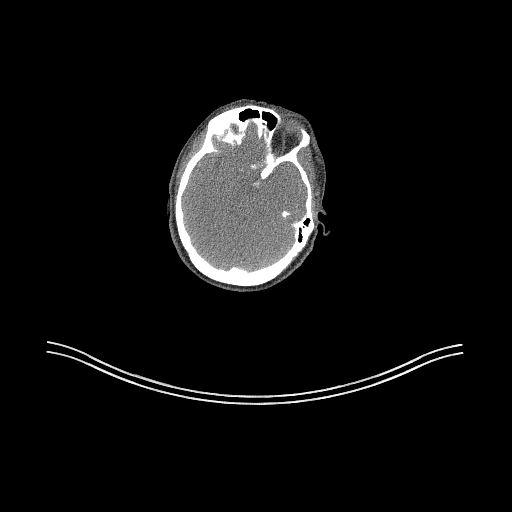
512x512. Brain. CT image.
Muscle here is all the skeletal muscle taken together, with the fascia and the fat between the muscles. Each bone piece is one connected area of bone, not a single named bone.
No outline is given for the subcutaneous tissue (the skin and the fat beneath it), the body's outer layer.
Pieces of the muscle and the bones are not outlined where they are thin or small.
The brain is outlined by 253 126; 264 155; 248 164; 252 171; 261 167; 251 185; 259 188; 280 164; 292 164; 305 188; 304 212; 290 223; 291 245; 273 262; 254 269; 218 267; 193 243; 185 222; 183 194; 198 162; 221 151; 214 137; 233 149; 243 143 with a hole at 282 210; 287 210; 288 211; 289 211; 290 212; 291 212; 291 214; 290 215; 289 215; 288 216; 287 216; 286 217; 285 217; 284 218; 283 217; 282 217; 282 216; 281 215; 281 211. The head is outlined by 240 98; 278 104; 305 116; 313 128; 326 171; 322 201; 326 214; 320 213; 319 218; 330 233; 324 236; 320 225; 313 248; 303 263; 283 281; 254 292; 221 289; 194 275; 178 257; 170 236; 166 213; 168 183; 182 146; 212 110 with holes at 265 113; 266 113; 267 114; 269 114; 270 115; 271 115; 275 119; 275 122; 274 123; 274 124; 271 127; 270 127; 270 126; 269 125; 269 121; 267 119; 266 119; 264 117; 264 114 and at 248 110; 249 110; 250 111; 255 111; 256 112; 257 112; 257 114; 256 115; 248 115; 246 117; 244 117; 243 118; 242 118; 241 117; 241 115; 244 112; 246 112. The muscle appears in 2 outlined pieces: piece 1: 310 141; 312 155; 316 160; 315 163; 318 169; 317 180; 319 185; 318 208; 315 214; 315 223; 314 223; 313 208; 312 207; 312 199; 313 198; 312 187; 308 177; 308 174; 299 161; 298 158; 299 151; 301 149; 308 146; 310 144; piece 2: 206 124; 206 130; 202 142; 199 148; 187 161; 184 167; 184 169; 180 176; 176 194; 174 198; 174 205; 173 206; 173 210; 174 211; 174 215; 174 212; 173 211; 173 203; 174 202; 174 185; 175 184; 176 174; 180 162; 182 159; 183 155; 188 149; 188 147; 192 140. The bones are outlined by 247 104; 273 109; 281 116; 272 138; 277 155; 298 143; 298 127; 308 133; 309 144; 298 151; 297 158; 312 191; 314 227; 302 250; 274 278; 257 285; 235 285; 208 277; 191 262; 178 235; 174 206; 181 176; 203 142; 208 121, around holes outlined by 253 126; 264 155; 248 164; 252 171; 261 167; 251 185; 259 188; 280 164; 292 164; 305 188; 304 212; 290 223; 291 245; 273 262; 254 269; 218 267; 193 243; 185 222; 183 194; 198 162; 221 151; 214 137; 233 149; 243 143 and by 265 113; 266 113; 267 114; 269 114; 270 115; 271 115; 275 119; 275 122; 274 123; 274 124; 271 127; 270 127; 270 126; 269 125; 269 121; 267 119; 266 119; 264 117; 264 114 and by 248 110; 249 110; 250 111; 255 111; 256 112; 257 112; 257 114; 256 115; 248 115; 246 117; 244 117; 243 118; 242 118; 241 117; 241 115; 244 112; 246 112.